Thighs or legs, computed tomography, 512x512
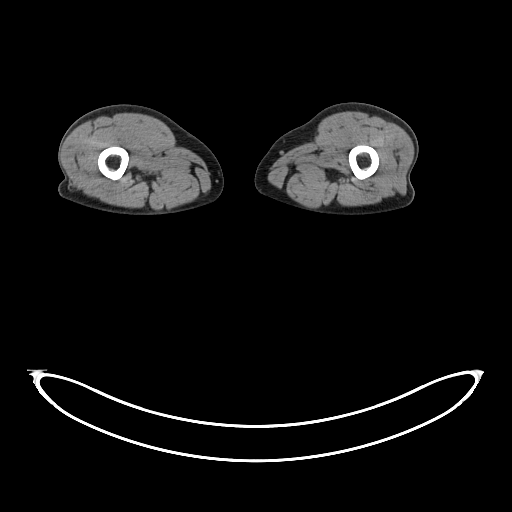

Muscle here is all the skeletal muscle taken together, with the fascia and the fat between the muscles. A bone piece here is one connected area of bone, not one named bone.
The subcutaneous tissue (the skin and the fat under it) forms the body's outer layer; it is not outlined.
The right leg is outlined by (119, 103) (138, 104) (158, 110) (201, 140) (216, 156) (223, 172) (224, 185) (219, 197) (209, 204) (194, 209) (163, 215) (125, 215) (110, 213) (86, 207) (62, 198) (57, 190) (58, 184) (63, 178) (57, 161) (57, 152) (59, 142) (64, 132) (83, 114) (98, 107). The bones appear in 2 outlined pieces: piece 1: (358, 144) (365, 144) (366, 145) (369, 145) (373, 147) (376, 150) (378, 154) (378, 156) (379, 157) (379, 164) (375, 172) (370, 176) (364, 179) (359, 179) (357, 178) (354, 175) (349, 165) (349, 162) (348, 161) (348, 153) (349, 151) (354, 146); piece 2: (109, 146) (120, 146) (124, 148) (127, 151) (129, 156) (128, 163) (124, 173) (119, 179) (117, 179) (116, 180) (113, 180) (108, 177) (106, 177) (103, 174) (102, 174) (99, 170) (98, 168) (98, 165) (97, 164) (97, 159) (98, 158) (98, 155) (99, 153) (103, 149). The muscle appears in 2 outlined pieces: piece 1: (120, 112) (149, 113) (165, 123) (183, 147) (202, 157) (207, 162) (209, 167) (211, 180) (211, 190) (207, 198) (192, 201) (171, 208) (142, 209) (112, 205) (94, 200) (82, 193) (69, 190) (69, 178) (61, 162) (61, 149) (64, 141) (68, 135) (80, 124) (99, 116); inner edge: (109, 146) (120, 146) (124, 148) (127, 151) (129, 156) (128, 163) (124, 173) (119, 179) (117, 179) (116, 180) (113, 180) (108, 177) (106, 177) (103, 174) (102, 174) (99, 170) (98, 168) (98, 165) (97, 164) (97, 159) (98, 158) (98, 155) (99, 153) (103, 149); piece 2: (341, 111) (370, 112) (397, 124) (408, 134) (413, 143) (414, 152) (413, 158) (405, 176) (407, 187) (406, 196) (394, 198) (369, 207) (310, 208) (299, 204) (267, 181) (268, 171) (278, 153) (278, 150) (281, 147) (293, 144) (300, 145) (306, 142) (312, 130) (323, 118), around a hole outlined by (358, 144) (365, 144) (366, 145) (369, 145) (373, 147) (376, 150) (378, 154) (378, 156) (379, 157) (379, 164) (375, 172) (370, 176) (364, 179) (359, 179) (357, 178) (354, 175) (349, 165) (349, 162) (348, 161) (348, 153) (349, 151) (354, 146). The left leg is outlined by (349, 101) (365, 102) (382, 107) (399, 116) (414, 131) (418, 140) (419, 153) (410, 175) (415, 191) (412, 202) (404, 208) (387, 212) (365, 215) (337, 215) (300, 209) (260, 194) (254, 185) (254, 174) (258, 163) (273, 142) (282, 134) (306, 122) (323, 108) (332, 104).